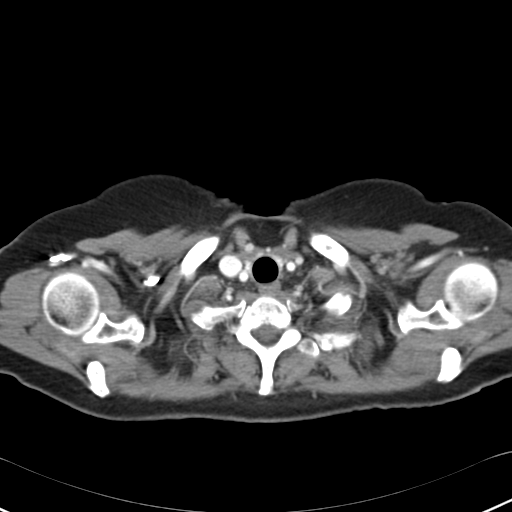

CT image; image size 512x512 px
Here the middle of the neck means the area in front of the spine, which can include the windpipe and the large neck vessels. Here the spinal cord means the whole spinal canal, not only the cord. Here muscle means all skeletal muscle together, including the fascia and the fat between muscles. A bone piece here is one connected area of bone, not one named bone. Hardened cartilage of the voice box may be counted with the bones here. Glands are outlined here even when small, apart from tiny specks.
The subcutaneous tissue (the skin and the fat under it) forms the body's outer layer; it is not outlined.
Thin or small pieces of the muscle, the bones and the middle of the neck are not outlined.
Outlined structures:
torso: 148,172 184,176 265,216 277,214 291,199 376,176 407,182 444,201 440,266 450,303 473,342 511,377 441,405 373,408 275,423 209,418 108,420 33,389 55,372 83,338 91,319 93,260 78,203 117,181
thyroid glands: 260,251 271,251 274,253 285,256 286,261 284,264 284,268 281,269 279,267 278,263 270,255 264,253 261,255 259,255 257,257 255,257 251,261 250,264 250,273 248,275 245,268 244,260 250,254 258,253
bones 1: 262,294 300,304 294,315 308,331 353,331 360,336 346,347 321,350 317,357 295,346 282,351 272,371 272,393 260,395 258,356 227,330 238,319 206,330 190,314 203,305 233,305 243,298 250,304, around a hole outlined by 262,325 271,325 272,326 273,326 274,327 275,327 276,328 281,330 281,333 280,334 278,339 274,343 273,343 270,345 265,345 264,344 261,343 252,334 252,331 253,330 254,330 255,329 257,329
bones 2: 65,272 73,272 83,275 93,284 99,295 99,307 111,321 120,322 129,314 136,314 144,325 142,340 136,345 129,340 120,340 108,343 84,343 78,337 67,335 50,325 43,313 42,292 45,285 52,277
bones 3: 466,262 478,262 484,264 493,272 497,280 498,290 492,308 477,319 455,329 414,328 406,334 403,334 397,322 399,308 407,301 410,301 420,310 424,311 429,309 436,300 443,295 443,286 448,274 456,267
bones 4: 210,235 218,235 220,237 220,241 217,247 214,250 214,251 197,267 193,275 192,275 190,278 188,279 185,278 183,275 179,273 179,269 180,268 180,263 181,261 183,259 186,253 197,241 206,236 209,236
bones 5: 313,231 325,233 329,235 333,239 341,244 347,250 349,254 349,263 344,267 340,267 339,266 337,266 336,267 334,263 330,259 322,255 316,250 315,250 309,244 309,242 308,241 309,235 310,233
bones 6: 447,346 451,346 452,347 454,347 456,348 459,351 462,357 462,360 461,361 461,365 463,367 463,369 462,371 457,376 456,376 449,382 447,382 446,383 440,383 436,381 436,377 440,369 440,355 443,349
bones 7: 93,360 98,360 100,362 101,362 104,366 104,368 105,369 105,379 106,380 106,384 110,391 110,393 106,397 100,397 96,395 87,387 87,386 89,384 89,381 85,373 86,371 86,366 90,361 92,361
bones 8: 337,291 342,291 344,293 349,293 352,297 352,303 349,309 343,315 342,315 340,317 338,317 336,318 335,317 332,317 328,315 323,310 320,309 319,308 319,306 323,302 324,302 331,296 332,296
right arm: 76,203 77,203 83,221 87,247 91,253 92,260 92,293 90,319 86,331 82,338 62,357 61,361 54,372 40,385 34,388 30,388 17,381 11,375 0,373 0,247 10,241 21,230 37,218 51,211
muscle: 235,211 268,225 294,214 391,230 421,222 457,232 464,244 511,260 511,348 480,357 464,369 460,351 447,345 439,355 435,377 442,384 406,391 316,397 291,392 264,398 245,392 237,399 227,394 183,402 107,397 111,391 106,369 98,359 85,366 86,387 66,372 13,351 0,344 0,290 10,275 87,237 130,227 150,233 178,223 210,224 with holes at 260,251 309,259 303,294 273,296 301,305 294,314 300,326 360,335 317,357 295,346 282,351 268,395 258,394 258,356 227,330 237,318 211,330 190,318 203,305 250,304 259,294 226,280 218,263 226,254 and at 65,272 73,272 83,275 93,284 99,295 99,307 111,321 120,322 129,314 136,314 144,325 142,340 136,345 129,340 120,340 108,343 84,343 78,337 67,335 50,325 43,313 42,292 45,285 52,277 and at 466,262 478,262 484,264 493,272 497,280 498,290 492,308 477,319 455,329 414,328 406,334 403,334 397,322 399,308 407,301 410,301 420,310 424,311 429,309 436,300 443,295 443,286 448,274 456,267 and at 210,235 218,235 220,237 220,241 217,247 214,250 214,251 197,267 193,275 192,275 190,278 188,279 185,278 183,275 179,273 179,269 180,268 180,263 181,261 183,259 186,253 197,241 206,236 209,236 and at 313,231 325,233 329,235 333,239 341,244 347,250 349,254 349,263 344,267 340,267 339,266 337,266 336,267 334,263 330,259 322,255 316,250 315,250 309,244 309,242 308,241 309,235 310,233 and at 337,291 342,291 344,293 349,293 352,297 352,303 349,309 343,315 342,315 340,317 338,317 336,318 335,317 332,317 328,315 323,310 320,309 319,308 319,306 323,302 324,302 331,296 332,296
middle of the neck: 226,254 247,256 243,262 248,276 251,273 252,261 264,254 270,256 281,270 285,268 287,257 306,255 311,264 311,273 302,295 285,291 281,291 277,295 266,293 259,294 226,280 220,274 218,263 222,256
left arm: 454,200 465,200 478,203 488,208 511,225 511,374 503,369 491,359 474,342 463,326 463,324 457,315 456,310 451,303 451,298 449,296 442,275 442,267 441,266 441,223 443,214 443,206 445,201 453,201
spinal cord: 262,325 271,325 272,326 273,326 274,327 275,327 276,328 281,330 281,333 280,334 278,339 274,343 273,343 270,345 265,345 264,344 261,343 252,334 252,331 253,330 254,330 255,329 257,329